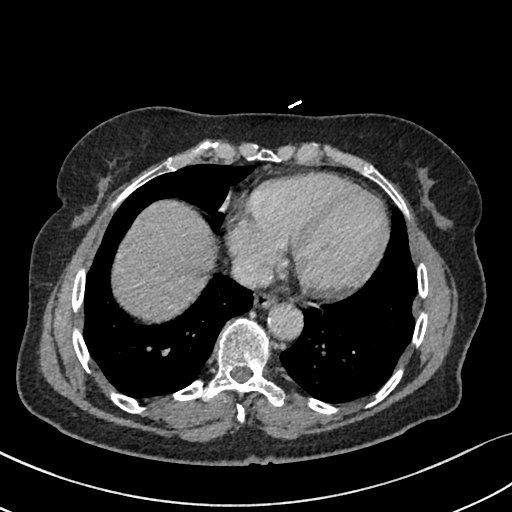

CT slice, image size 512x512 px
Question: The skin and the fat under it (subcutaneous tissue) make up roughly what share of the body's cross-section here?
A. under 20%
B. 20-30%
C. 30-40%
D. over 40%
Answer: C. 30-40%
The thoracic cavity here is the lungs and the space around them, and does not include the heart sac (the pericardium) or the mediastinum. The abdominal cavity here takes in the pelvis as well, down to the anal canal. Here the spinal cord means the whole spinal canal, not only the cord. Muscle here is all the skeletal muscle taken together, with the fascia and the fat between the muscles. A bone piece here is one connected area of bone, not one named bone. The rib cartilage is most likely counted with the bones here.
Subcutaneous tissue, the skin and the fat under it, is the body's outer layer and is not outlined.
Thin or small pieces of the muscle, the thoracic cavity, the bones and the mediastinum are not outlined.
Outlined structures:
bones 1: 207 139; 236 149; 252 142; 275 152; 284 145; 316 142; 352 154; 371 163; 390 182; 411 217; 406 220; 374 181; 335 164; 323 153; 309 164; 293 158; 275 162; 241 157; 228 164; 203 156; 152 178; 112 210; 112 202; 139 176
bones 2: 238 317; 256 322; 267 335; 270 357; 263 375; 284 390; 283 404; 274 406; 255 390; 241 395; 229 389; 220 391; 208 401; 200 398; 174 400; 172 393; 198 378; 208 380; 212 376; 218 362; 218 348; 215 345; 218 336; 227 322 with a hole at 238 366; 239 367; 244 367; 245 366; 246 367; 247 367; 248 368; 249 368; 251 370; 251 371; 252 372; 252 375; 247 380; 246 380; 244 382; 238 382; 236 380; 235 380; 231 376; 231 371; 235 367; 237 367
bones 3: 82 266; 83 267; 85 267; 87 269; 86 277; 85 278; 85 287; 84 288; 84 294; 83 295; 83 303; 82 304; 82 308; 75 313; 72 309; 72 305; 71 304; 72 289; 73 288; 73 284; 74 283; 75 276; 79 268
bones 4: 74 326; 78 327; 82 331; 82 335; 83 336; 85 344; 87 347; 88 352; 91 358; 91 359; 88 362; 88 365; 91 370; 91 373; 87 373; 85 371; 82 365; 80 363; 75 352; 73 342; 72 341; 72 333; 73 332; 73 327
bones 5: 110 389; 114 389; 116 391; 122 394; 124 394; 129 397; 134 398; 136 400; 137 400; 141 405; 143 405; 146 407; 145 410; 142 411; 140 413; 129 413; 121 409; 118 406; 117 406; 110 399; 109 397; 109 395; 108 394; 108 391
bones 6: 400 366; 403 366; 404 368; 404 372; 402 375; 402 377; 400 379; 399 382; 396 385; 396 386; 381 401; 371 407; 365 408; 364 406; 369 401; 371 401; 374 398; 374 395; 375 393; 382 387; 382 386; 393 374; 395 370
bones 7: 421 310; 424 310; 427 313; 427 325; 425 329; 425 332; 423 336; 423 339; 419 346; 417 348; 416 348; 412 344; 411 344; 411 340; 412 339; 412 336; 413 335; 413 332; 414 331; 414 328; 415 327; 416 318; 418 316; 419 312
bones 8: 420 261; 422 261; 425 264; 425 266; 426 267; 426 270; 427 271; 427 295; 426 296; 426 297; 424 299; 422 299; 420 297; 419 297; 418 296; 418 281; 417 280; 417 270; 416 269; 416 267; 417 266; 417 265; 418 264; 418 263
bones 9: 309 396; 311 397; 313 397; 323 402; 326 402; 327 403; 332 404; 338 407; 339 408; 339 410; 338 412; 336 413; 334 413; 333 414; 325 414; 324 413; 321 413; 315 410; 313 410; 307 405; 307 401; 308 400; 308 397
pericardium: 296 169; 327 172; 350 177; 353 176; 364 182; 385 201; 389 214; 389 236; 387 243; 377 266; 367 279; 349 295; 329 301; 300 302; 249 288; 237 281; 232 275; 228 254; 224 244; 224 223; 230 210; 241 192; 259 177; 270 172
torso: 146 106; 207 114; 383 113; 413 121; 449 145; 481 194; 475 237; 486 286; 484 310; 461 370; 457 407; 353 451; 243 466; 128 455; 66 435; 32 414; 17 391; 16 362; 27 316; 33 242; 61 204; 58 171; 69 150; 94 126
muscle: 163 160; 111 202; 115 211; 90 266; 78 268; 71 289; 72 311; 83 309; 82 330; 74 325; 71 333; 76 357; 87 374; 94 361; 113 387; 109 399; 121 410; 140 414; 145 399; 165 395; 208 402; 226 390; 241 396; 255 391; 281 407; 285 390; 264 375; 270 358; 318 413; 333 415; 337 405; 371 396; 365 409; 381 402; 403 377; 405 368; 398 364; 406 348; 420 346; 428 325; 424 309; 416 316; 417 297; 428 295; 427 267; 414 261; 406 224; 411 213; 389 180; 413 208; 457 290; 454 333; 440 367; 412 393; 371 416; 294 439; 245 424; 207 442; 187 441; 116 425; 58 393; 38 370; 50 294; 112 192; inner edge: 237 403; 240 403; 243 406; 243 407; 244 408; 244 412; 245 413; 245 421; 244 422; 243 422; 242 423; 241 423; 240 422; 239 422; 238 421; 238 420; 237 419; 237 418; 236 417; 236 416; 237 415; 237 407; 236 406; 236 404
spinal cord: 238 366; 239 367; 244 367; 245 366; 246 367; 247 367; 248 368; 249 368; 251 370; 251 371; 252 372; 252 375; 247 380; 246 380; 244 382; 238 382; 236 380; 235 380; 231 376; 231 371; 235 367; 237 367
thoracic cavity 1: 207 162; 254 167; 231 186; 222 235; 193 203; 178 197; 153 201; 117 246; 110 292; 122 311; 147 326; 183 314; 217 273; 249 290; 252 304; 224 324; 200 377; 141 404; 116 390; 91 357; 83 335; 87 272; 114 213; 135 190
thoracic cavity 2: 394 204; 405 220; 409 246; 416 266; 416 317; 411 339; 401 355; 397 367; 373 395; 335 405; 302 391; 288 376; 278 357; 281 352; 291 347; 301 335; 304 328; 304 309; 327 305; 340 298; 349 296; 369 278; 378 266; 389 241
mediastinum 1: 237 282; 249 289; 300 303; 322 303; 338 299; 327 304; 304 308; 302 310; 303 328; 300 335; 291 346; 278 354; 279 364; 287 377; 296 385; 290 383; 276 368; 271 358; 271 342; 265 330; 256 321; 238 316; 252 307; 253 294
mediastinum 2: 289 160; 299 165; 331 164; 347 167; 374 182; 393 204; 390 228; 386 201; 361 179; 353 175; 296 168; 267 172; 246 186; 226 215; 223 231; 224 212; 232 197; 232 186; 255 168; 252 164; 231 164; 253 161; 280 163
mediastinum 3: 224 247; 225 247; 225 250; 227 254; 227 261; 228 262; 228 265; 230 268; 230 272; 231 273; 231 275; 232 277; 236 281; 235 281; 228 275; 226 274; 223 274; 220 269; 220 260; 222 258; 222 248
mediastinum 4: 215 346; 216 346; 216 347; 217 348; 217 362; 213 369; 213 371; 212 372; 212 373; 208 373; 207 374; 207 375; 205 377; 205 378; 204 378; 203 377; 201 377; 207 367; 207 364; 208 363; 208 361; 214 350; 214 347
abdominal cavity: 166 198; 178 198; 197 206; 205 212; 205 219; 211 229; 219 236; 223 234; 224 246; 221 248; 219 260; 221 272; 212 276; 197 299; 180 315; 159 324; 141 324; 134 321; 114 300; 110 288; 111 266; 120 242; 138 214; 153 202